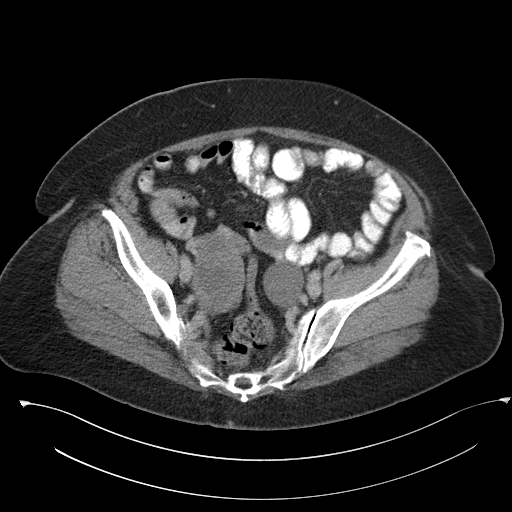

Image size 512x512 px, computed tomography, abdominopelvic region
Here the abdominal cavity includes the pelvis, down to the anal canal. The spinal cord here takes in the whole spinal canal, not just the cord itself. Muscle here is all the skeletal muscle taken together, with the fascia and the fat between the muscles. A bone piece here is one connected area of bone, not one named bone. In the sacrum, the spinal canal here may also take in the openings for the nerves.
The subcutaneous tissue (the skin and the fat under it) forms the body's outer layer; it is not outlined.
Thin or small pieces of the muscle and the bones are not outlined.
torso: (229, 77) (303, 78) (343, 87) (437, 150) (479, 213) (495, 254) (495, 264) (485, 275) (501, 299) (503, 334) (487, 362) (357, 417) (294, 429) (248, 430) (164, 417) (75, 381) (18, 371) (0, 360) (0, 272) (46, 220) (34, 200) (51, 167) (125, 106) (178, 86)
spinal cord 1: (218, 368) (220, 368) (221, 369) (222, 369) (225, 371) (225, 372) (226, 373) (226, 374) (225, 375) (225, 376) (224, 376) (223, 377) (221, 377) (220, 376) (219, 376) (216, 374) (216, 373) (215, 372) (215, 371) (216, 370) (216, 369) (217, 369)
spinal cord 2: (238, 383) (249, 383) (250, 384) (250, 385) (248, 387) (241, 387) (240, 386) (238, 386) (237, 385) (237, 384)
spinal cord 3: (263, 376) (264, 376) (265, 376) (266, 377) (267, 377) (267, 378) (268, 379) (268, 380) (267, 381) (267, 382) (266, 383) (265, 383) (264, 384) (263, 384) (262, 383) (261, 383) (261, 382) (260, 381) (260, 380) (260, 379) (261, 378) (261, 377) (262, 377)
bones: (105, 207) (121, 219) (142, 259) (170, 286) (188, 336) (221, 378) (226, 371) (263, 368) (306, 311) (378, 279) (398, 253) (405, 230) (429, 242) (430, 256) (357, 307) (327, 353) (283, 390) (267, 386) (243, 402) (219, 385) (201, 386) (164, 336) (118, 257) (101, 215), around holes outlined by (238, 383) (249, 383) (250, 384) (250, 385) (248, 387) (241, 387) (240, 386) (238, 386) (237, 385) (237, 384) and by (263, 376) (264, 376) (265, 376) (266, 377) (267, 377) (267, 378) (268, 379) (268, 380) (267, 381) (267, 382) (266, 383) (265, 383) (264, 384) (263, 384) (262, 383) (261, 383) (261, 382) (260, 381) (260, 380) (260, 379) (261, 378) (261, 377) (262, 377)
abdominal cavity: (256, 132) (343, 148) (376, 161) (401, 188) (405, 207) (380, 256) (360, 264) (346, 264) (338, 257) (323, 266) (318, 303) (298, 318) (279, 352) (263, 367) (232, 370) (213, 358) (180, 312) (174, 292) (180, 254) (173, 243) (143, 227) (131, 185) (138, 169) (157, 154)
muscle 1: (253, 125) (290, 127) (341, 139) (395, 164) (427, 194) (435, 213) (439, 291) (426, 335) (394, 357) (329, 384) (249, 400) (249, 395) (267, 387) (283, 391) (311, 369) (331, 349) (347, 318) (429, 258) (432, 247) (427, 239) (405, 229) (397, 253) (378, 278) (353, 294) (330, 298) (315, 307) (322, 295) (324, 266) (338, 258) (346, 265) (360, 265) (380, 257) (389, 246) (406, 199) (393, 175) (370, 157) (265, 131) (197, 148) (162, 151) (135, 172) (130, 186) (142, 227) (173, 244) (179, 254) (173, 291) (143, 259) (113, 209) (100, 210) (122, 267) (191, 375) (201, 387) (219, 386) (238, 394) (238, 400) (176, 383) (67, 330) (55, 304) (59, 260) (67, 238) (116, 177) (154, 150) (206, 133)
muscle 2: (185, 321) (192, 335) (204, 347) (204, 348) (208, 352) (212, 358) (216, 362) (222, 365) (224, 367) (227, 368) (229, 370) (231, 370) (231, 371) (230, 370) (226, 370) (219, 367) (192, 340) (188, 334) (188, 331) (187, 330) (187, 327) (186, 326)